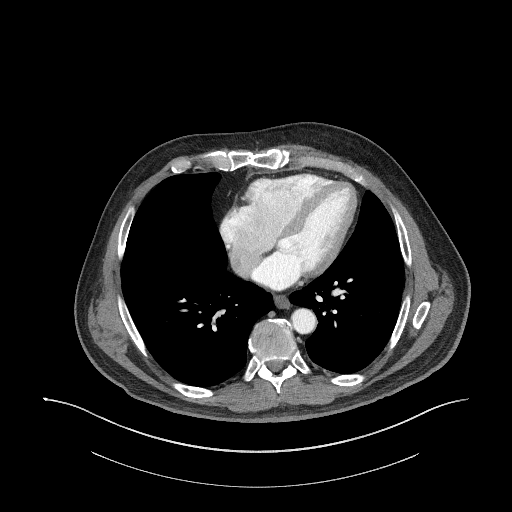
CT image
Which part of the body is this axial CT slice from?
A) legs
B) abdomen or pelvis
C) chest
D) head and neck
C) chest
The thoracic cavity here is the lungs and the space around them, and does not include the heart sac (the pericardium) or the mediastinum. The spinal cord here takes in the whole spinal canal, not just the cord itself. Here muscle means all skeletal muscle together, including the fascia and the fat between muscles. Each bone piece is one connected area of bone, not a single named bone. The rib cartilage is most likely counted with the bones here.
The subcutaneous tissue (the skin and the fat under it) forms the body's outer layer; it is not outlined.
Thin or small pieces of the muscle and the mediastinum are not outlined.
The pericardium is outlined by 277 295; 289 295; 292 291; 302 287; 320 275; 333 261; 349 238; 356 224; 360 203; 355 187; 346 179; 331 173; 306 169; 260 171; 249 173; 238 189; 230 209; 218 226; 225 244; 228 263; 232 270; 243 279; 252 281; 267 291. The muscle is outlined by 236 412; 264 410; 278 406; 282 401; 290 405; 326 404; 355 393; 417 357; 438 335; 452 310; 454 293; 450 279; 425 244; 410 212; 379 177; 348 158; 300 144; 274 146; 291 151; 285 167; 304 166; 298 162; 300 155; 326 157; 351 165; 364 175; 365 187; 382 201; 392 217; 388 206; 391 202; 406 225; 412 265; 409 268; 405 265; 402 299; 406 293; 411 295; 409 316; 396 346; 391 351; 386 347; 370 365; 359 371; 367 377; 354 386; 332 384; 329 379; 339 374; 313 364; 300 344; 312 371; 306 375; 298 372; 286 379; 279 394; 270 382; 257 376; 245 382; 241 378; 242 370; 223 383; 205 387; 213 390; 211 397; 190 398; 176 391; 170 385; 175 380; 149 354; 145 358; 135 347; 116 305; 116 295; 121 295; 120 261; 116 256; 121 219; 130 204; 137 208; 158 182; 172 174; 169 169; 172 162; 189 158; 194 165; 199 163; 197 155; 200 153; 174 157; 142 181; 110 232; 87 310; 92 341; 136 377; 172 396; inner edge: 416 329; 419 329; 420 328; 427 314; 427 312; 429 309; 429 306; 430 305; 430 303; 428 301; 424 301; 420 303; 419 305; 416 308; 414 312; 414 314; 413 315; 413 318; 412 319; 412 324; 413 326. The torso is outlined by 241 423; 305 420; 373 403; 440 368; 461 338; 471 292; 462 258; 399 163; 380 145; 353 130; 317 121; 297 121; 251 131; 193 133; 170 139; 148 150; 129 167; 98 220; 74 298; 76 332; 88 359; 100 373; 136 399; 173 413. The thoracic cavity appears in 2 outlined pieces: piece 1: 204 387; 223 382; 244 368; 247 361; 247 339; 251 329; 256 320; 272 308; 270 293; 225 269; 226 252; 211 209; 211 195; 220 179; 217 172; 171 175; 158 183; 137 209; 128 235; 124 256; 120 263; 122 295; 148 352; 176 380; piece 2: 336 373; 357 372; 375 359; 386 346; 401 302; 404 264; 395 227; 391 216; 381 201; 369 190; 363 196; 355 229; 340 253; 320 276; 302 288; 292 292; 289 297; 293 303; 312 309; 318 320; 315 330; 304 343; 311 361; 324 369. The spinal cord is outlined by 274 373; 277 373; 278 372; 279 372; 283 368; 283 367; 284 366; 284 365; 285 364; 284 363; 284 362; 283 362; 282 361; 280 361; 279 360; 272 360; 271 361; 269 361; 267 363; 267 366; 268 367; 268 368; 271 371; 272 371. The bones appear in 10 outlined pieces: piece 1: 278 393; 280 392; 282 382; 286 378; 298 371; 305 374; 310 373; 311 368; 301 355; 291 332; 289 322; 283 318; 268 318; 256 323; 252 329; 248 339; 248 351; 251 356; 242 374; 242 378; 245 381; 249 381; 257 375; 270 381, around a hole outlined by 274 373; 277 373; 278 372; 279 372; 283 368; 283 367; 284 366; 284 365; 285 364; 284 363; 284 362; 283 362; 282 361; 280 361; 279 360; 272 360; 271 361; 269 361; 267 363; 267 366; 268 367; 268 368; 271 371; 272 371; piece 2: 173 174; 185 172; 192 166; 194 169; 201 169; 202 163; 224 171; 231 171; 246 165; 276 170; 287 165; 290 151; 277 147; 257 153; 250 150; 233 149; 207 151; 198 155; 200 163; 194 166; 189 159; 177 160; 172 163; 170 169; piece 3: 363 186; 366 185; 366 180; 363 175; 358 173; 351 166; 347 165; 341 161; 334 161; 326 158; 314 157; 313 156; 300 156; 298 158; 300 164; 302 165; 305 166; 311 166; 312 167; 320 167; 321 168; 332 169; 333 170; 339 171; piece 4: 145 357; 148 356; 148 353; 146 350; 146 348; 143 342; 143 340; 140 334; 138 332; 130 316; 130 314; 128 311; 128 309; 122 297; 119 294; 117 295; 117 305; 118 306; 119 313; 122 319; 122 321; 131 339; 135 344; 136 347; piece 5: 409 267; 411 265; 411 250; 410 249; 409 240; 407 235; 407 231; 402 220; 402 218; 398 211; 396 208; 390 203; 389 206; 393 215; 393 219; 396 227; 396 231; 398 236; 398 240; 399 241; 399 245; 400 246; 402 257; 404 263; piece 6: 389 350; 391 350; 395 346; 404 328; 404 326; 408 316; 408 312; 409 311; 409 307; 410 306; 410 295; 409 294; 406 294; 402 300; 400 310; 399 311; 399 314; 398 315; 395 326; 387 344; 387 347; piece 7: 119 260; 121 260; 123 256; 123 253; 125 249; 125 243; 127 239; 127 235; 129 231; 129 228; 131 225; 134 214; 136 211; 136 208; 133 205; 130 205; 127 208; 127 210; 122 219; 122 221; 119 228; 118 238; 117 239; 117 256; piece 8: 198 398; 199 397; 209 397; 211 396; 213 394; 213 392; 211 389; 204 388; 203 387; 198 387; 197 386; 191 386; 190 385; 187 385; 186 384; 181 383; 178 381; 173 381; 171 383; 171 385; 176 390; 182 394; 190 397; 197 397; piece 9: 343 386; 349 386; 350 385; 354 385; 355 384; 360 383; 361 382; 362 382; 365 379; 366 376; 363 373; 353 373; 352 374; 340 374; 339 375; 334 376; 330 379; 331 382; 332 383; 334 383; 335 384; 337 384; 338 385; 342 385; piece 10: 416 329; 419 329; 420 328; 427 314; 427 312; 429 309; 429 306; 430 305; 430 303; 428 301; 424 301; 420 303; 419 305; 416 308; 414 312; 414 314; 413 315; 413 318; 412 319; 412 324; 413 326. The mediastinum appears in 4 outlined pieces: piece 1: 298 345; 300 343; 301 344; 303 343; 314 330; 317 323; 314 313; 312 310; 308 308; 297 306; 293 304; 289 300; 288 297; 289 296; 277 296; 271 294; 273 298; 273 308; 257 320; 256 322; 268 317; 286 318; 292 326; 292 332; piece 2: 218 225; 221 219; 229 209; 229 206; 237 189; 248 173; 252 171; 270 170; 262 168; 255 168; 251 166; 246 166; 231 172; 218 171; 214 169; 196 170; 186 172; 217 171; 221 175; 221 179; 215 187; 212 195; 213 215; 215 221; piece 3: 360 202; 361 202; 361 199; 364 192; 367 189; 339 172; 320 168; 312 168; 311 167; 293 167; 292 168; 283 168; 279 169; 284 169; 285 168; 306 168; 307 169; 315 169; 316 170; 327 171; 342 176; 349 180; 356 187; 357 192; 360 197; piece 4: 237 276; 238 276; 235 273; 234 273; 231 270; 231 269; 229 267; 229 266; 228 265; 228 264; 227 263; 227 266; 226 267; 226 269; 227 270; 230 270; 233 273; 234 273.